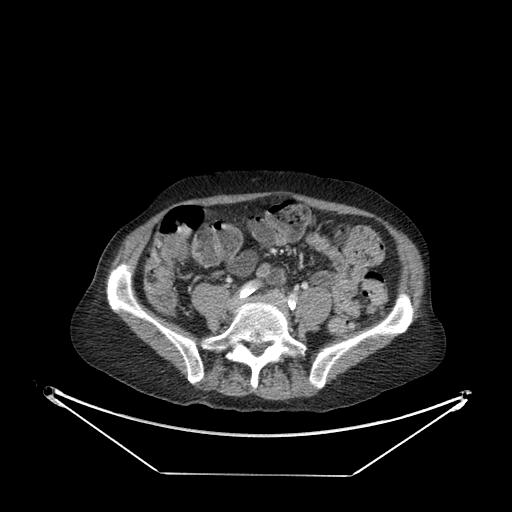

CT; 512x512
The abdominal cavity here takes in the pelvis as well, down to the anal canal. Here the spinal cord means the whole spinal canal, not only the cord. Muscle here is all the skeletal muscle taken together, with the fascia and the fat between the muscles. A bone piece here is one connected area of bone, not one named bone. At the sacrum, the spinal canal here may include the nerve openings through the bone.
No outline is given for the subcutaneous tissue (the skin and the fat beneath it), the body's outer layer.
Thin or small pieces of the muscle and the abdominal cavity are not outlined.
Outlined structures:
muscle 1: 203 282; 223 286; 229 292; 229 299; 223 319; 214 328; 216 334; 203 337; 199 345; 203 350; 210 352; 226 351; 224 357; 227 360; 248 366; 250 369; 249 384; 254 390; 259 384; 260 371; 267 364; 279 362; 282 356; 304 356; 308 347; 317 349; 330 340; 341 339; 346 335; 370 327; 350 337; 325 345; 318 350; 310 365; 308 374; 309 383; 319 390; 315 395; 273 400; 265 399; 253 393; 232 396; 214 390; 198 389; 194 385; 204 377; 205 368; 196 341; 162 324; 144 310; 134 294; 133 285; 140 302; 149 310; 166 321; 177 324; 194 335; 202 337; 214 331; 209 327; 207 319; 192 305; 192 292; 198 284
muscle 2: 280 190; 354 206; 381 217; 407 235; 419 251; 425 275; 423 302; 420 307; 421 316; 411 325; 414 319; 414 307; 409 294; 404 291; 398 293; 402 265; 397 244; 388 230; 371 217; 319 209; 290 195; 270 195; 227 204; 206 205; 188 202; 172 205; 151 229; 133 276; 131 266; 125 261; 120 262; 109 271; 105 294; 107 269; 125 237; 152 216; 172 204; 220 194; 245 194
muscle 3: 120 311; 126 312; 139 319; 142 319; 152 324; 175 347; 182 358; 183 364; 185 367; 185 371; 186 372; 186 379; 179 373; 179 371; 174 367; 173 365; 167 360; 157 354; 153 349; 139 338; 129 328; 126 323; 115 313; 118 313
muscle 4: 315 287; 321 287; 327 290; 331 298; 331 308; 327 317; 318 326; 316 330; 308 330; 305 331; 301 335; 306 340; 306 344; 299 340; 300 334; 298 331; 298 323; 295 318; 294 313; 297 309; 299 296; 302 293; 307 292; 311 288
muscle 5: 397 335; 398 335; 396 336; 390 343; 370 354; 363 360; 350 367; 349 369; 345 372; 339 374; 337 377; 330 383; 326 384; 328 374; 332 367; 336 362; 351 348; 355 347; 361 342; 368 338; 374 338; 376 336; 391 336; 392 337
bones 1: 247 301; 266 302; 279 307; 288 323; 289 333; 307 347; 304 355; 282 355; 279 361; 267 363; 259 371; 258 384; 254 389; 250 384; 251 369; 248 365; 227 359; 226 350; 215 352; 200 345; 203 338; 223 332; 230 325; 236 309, around a hole outlined by 251 343; 255 343; 256 344; 259 344; 260 343; 269 343; 265 347; 265 348; 263 350; 263 351; 259 355; 255 355; 251 351; 251 350; 250 349; 250 348; 249 347; 249 345
bones 2: 122 262; 125 262; 130 266; 132 273; 131 277; 133 294; 141 308; 162 325; 195 341; 204 368; 204 375; 198 382; 193 385; 187 380; 186 367; 179 351; 152 323; 126 311; 120 310; 115 312; 111 309; 106 295; 107 280; 110 271
bones 3: 400 292; 409 295; 413 307; 413 319; 408 328; 404 332; 392 336; 376 335; 374 337; 366 338; 351 347; 335 362; 327 374; 325 385; 321 389; 318 389; 311 384; 309 381; 310 369; 319 350; 325 346; 350 338; 377 324; 390 312
abdominal cavity: 270 196; 371 218; 387 230; 401 268; 385 317; 311 348; 302 335; 330 314; 325 287; 298 296; 298 339; 279 306; 257 300; 240 304; 217 334; 230 299; 219 284; 203 281; 191 292; 213 331; 202 336; 141 302; 133 277; 168 209
torso: 226 169; 305 171; 350 180; 377 191; 399 207; 418 227; 430 252; 432 306; 447 340; 441 363; 428 374; 384 391; 373 399; 321 414; 238 412; 212 409; 203 404; 176 405; 142 394; 87 364; 70 341; 70 318; 110 238; 175 181
spinal cord: 251 343; 255 343; 256 344; 259 344; 260 343; 269 343; 265 347; 265 348; 263 350; 263 351; 259 355; 255 355; 251 351; 251 350; 250 349; 250 348; 249 347; 249 345